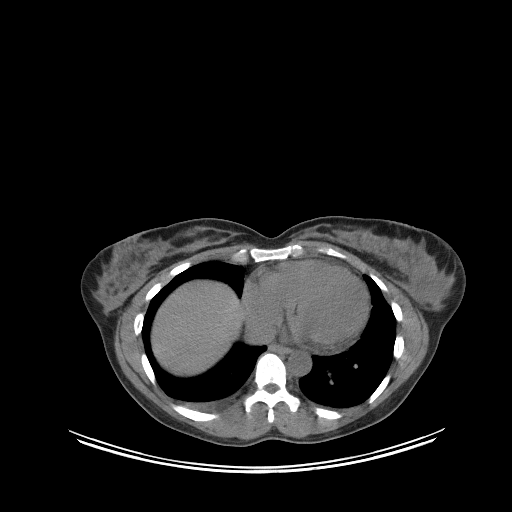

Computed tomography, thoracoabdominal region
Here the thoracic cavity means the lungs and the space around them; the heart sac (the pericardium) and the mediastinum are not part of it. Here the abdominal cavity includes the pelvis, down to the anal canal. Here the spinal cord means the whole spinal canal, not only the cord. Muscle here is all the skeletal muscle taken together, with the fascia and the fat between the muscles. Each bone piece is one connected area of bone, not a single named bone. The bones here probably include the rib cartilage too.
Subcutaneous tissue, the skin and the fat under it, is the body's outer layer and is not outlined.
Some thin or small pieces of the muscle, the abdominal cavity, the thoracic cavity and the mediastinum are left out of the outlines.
{"bones":[{"outer":[[266,352],[277,355],[284,363],[287,388],[298,396],[301,401],[294,412],[290,411],[285,402],[277,402],[273,407],[274,419],[271,423],[268,422],[268,406],[264,402],[255,402],[248,414],[245,411],[243,403],[244,398],[255,388],[253,373],[257,359]],"hole":[[268,384],[275,384],[276,385],[277,385],[277,386],[278,387],[278,388],[274,392],[272,392],[271,393],[270,392],[269,392],[268,391],[267,391],[264,388],[264,387],[266,385],[267,385]]},[[296,243],[301,245],[305,249],[305,254],[299,257],[291,257],[290,256],[286,259],[282,260],[276,259],[275,260],[265,260],[259,262],[253,261],[249,261],[245,263],[230,262],[231,254],[242,248],[250,249],[253,247],[256,247],[270,249],[283,247]],[[172,403],[177,406],[185,406],[190,409],[196,410],[197,411],[200,411],[204,413],[212,413],[213,414],[217,414],[218,413],[219,414],[219,417],[218,418],[212,419],[211,420],[208,420],[207,421],[196,421],[178,413],[172,408],[171,406],[171,404]],[[313,406],[319,406],[320,407],[323,407],[324,408],[327,408],[328,409],[332,409],[333,410],[336,410],[342,413],[342,416],[340,418],[338,418],[337,419],[326,419],[325,418],[322,418],[321,417],[320,418],[318,417],[318,416],[314,412],[313,410]],[[387,373],[389,373],[390,374],[390,379],[389,380],[387,385],[385,387],[385,388],[382,391],[382,392],[371,403],[368,403],[367,402],[367,399],[371,395],[371,394],[376,389],[376,388],[382,381],[382,380],[384,378],[384,377],[386,375],[386,374]],[[144,352],[152,368],[152,370],[153,371],[153,373],[155,377],[155,380],[156,381],[156,383],[155,384],[153,384],[151,382],[151,381],[148,378],[147,375],[145,373],[143,369],[143,367],[141,363],[141,354]],[[321,246],[325,246],[326,247],[331,247],[337,250],[339,252],[346,255],[348,257],[348,259],[346,260],[345,259],[343,259],[342,258],[340,258],[336,256],[328,255],[325,253],[320,253],[319,252],[316,252],[315,251],[315,248],[317,247],[320,247]],[[396,334],[400,334],[403,337],[403,342],[404,343],[404,349],[403,350],[403,352],[402,353],[402,354],[401,355],[401,356],[399,358],[398,358],[397,359],[396,359],[393,356],[393,348],[394,347],[394,343],[395,342],[395,338],[396,337]],[[185,261],[189,261],[190,262],[191,262],[191,264],[192,265],[191,266],[190,266],[188,268],[185,269],[183,271],[178,273],[176,275],[175,275],[170,279],[170,277],[168,274],[168,273],[170,271],[170,270],[171,269],[172,269],[175,266],[176,266]],[[140,312],[141,312],[144,314],[144,315],[143,316],[143,321],[142,322],[142,327],[141,328],[141,331],[140,332],[140,334],[139,334],[138,335],[136,335],[134,332],[133,323],[134,322],[134,318],[135,317],[135,316],[138,313],[139,313]],[[158,282],[160,282],[161,283],[162,283],[163,284],[163,286],[157,292],[157,293],[149,301],[146,301],[145,300],[145,296],[146,295],[146,293],[149,290],[149,289],[154,284],[155,284],[156,283],[157,283]],[[392,300],[394,300],[400,306],[400,307],[401,308],[401,311],[402,312],[402,316],[403,317],[403,318],[401,321],[397,321],[395,318],[395,316],[393,313],[393,311],[392,310],[392,308],[390,305],[390,302]],[[369,273],[372,273],[373,274],[374,274],[377,277],[378,277],[387,287],[387,288],[388,289],[388,291],[387,291],[386,292],[383,292],[381,290],[381,289],[379,287],[379,286],[374,281],[374,280],[371,277],[370,277],[370,276],[368,274]]],"mediastinum":[[[247,318],[260,320],[269,324],[274,335],[284,344],[295,346],[314,354],[327,355],[314,354],[312,356],[311,369],[307,374],[299,378],[297,391],[294,391],[288,383],[285,363],[277,354],[266,351],[267,346],[265,344],[254,344],[245,341],[241,327]],[[317,253],[325,254],[328,256],[332,256],[345,260],[365,273],[362,275],[362,278],[360,274],[347,263],[329,257],[320,257],[319,256],[317,257],[316,256],[315,257],[306,257],[301,259],[292,259],[291,260],[283,260],[286,260],[287,259],[288,258],[290,257],[299,258],[307,254],[316,254]],[[265,261],[274,261],[269,261],[268,262],[265,262],[259,265],[257,267],[255,267],[245,278],[245,280],[244,282],[244,273],[245,272],[245,270],[241,265],[239,264],[236,264],[245,264],[249,262],[253,262],[254,263],[259,263],[260,262],[264,262]]],"abdominal_cavity":[[[194,279],[217,280],[227,284],[233,290],[241,300],[241,305],[248,317],[242,322],[240,327],[242,338],[247,343],[236,341],[215,365],[203,373],[191,377],[179,377],[164,370],[156,361],[150,342],[150,330],[154,316],[159,306],[167,296],[181,284]]],"pericardium":[[[316,257],[329,258],[347,264],[355,270],[365,282],[370,296],[371,309],[367,323],[360,336],[349,347],[336,353],[314,353],[307,349],[280,341],[269,323],[260,319],[249,317],[242,305],[241,299],[244,283],[246,278],[255,268],[269,262],[301,260]]],"torso":[[[331,215],[390,219],[429,230],[444,239],[463,264],[463,298],[404,401],[373,425],[309,444],[269,439],[243,447],[219,445],[150,416],[115,375],[84,305],[80,279],[87,263],[102,248],[129,235],[187,219],[227,219],[273,237],[304,220]]],"muscle":[[[293,238],[326,242],[352,253],[379,271],[421,312],[429,331],[425,356],[386,399],[359,418],[327,432],[293,437],[273,428],[257,437],[241,439],[211,435],[174,418],[126,377],[116,357],[114,335],[119,316],[134,296],[158,272],[178,261],[209,249],[250,243],[256,246],[234,251],[229,262],[210,259],[192,264],[185,260],[169,270],[169,280],[164,285],[158,281],[145,293],[148,305],[144,313],[134,316],[132,327],[142,340],[140,363],[150,382],[157,383],[174,411],[196,422],[218,419],[219,413],[233,405],[252,383],[253,390],[242,400],[244,411],[248,415],[255,403],[262,402],[267,406],[270,424],[275,419],[277,403],[285,403],[292,413],[301,405],[301,398],[288,385],[317,405],[312,410],[320,419],[337,420],[343,416],[337,409],[366,400],[371,404],[391,379],[388,370],[393,358],[399,359],[405,349],[404,337],[396,332],[397,322],[404,318],[402,308],[394,299],[387,301],[383,293],[389,289],[378,276],[350,263],[346,254],[325,245],[315,247],[316,253],[306,254],[297,242],[284,245]]],"spinal_cord":[[[268,384],[275,384],[276,385],[277,385],[277,386],[278,387],[278,388],[274,392],[272,392],[271,393],[270,392],[269,392],[268,391],[267,391],[264,388],[264,387],[266,385],[267,385]]],"thoracic_cavity":[[[210,260],[243,268],[241,297],[217,279],[185,281],[158,306],[149,342],[157,364],[179,378],[195,377],[211,369],[236,342],[266,346],[256,359],[252,382],[233,404],[217,413],[177,405],[167,396],[156,380],[141,336],[149,302],[158,292],[178,274]],[[364,274],[367,274],[378,286],[389,304],[396,321],[396,333],[392,348],[393,357],[387,372],[364,401],[356,405],[336,409],[320,406],[299,391],[298,393],[299,380],[311,371],[314,355],[327,356],[345,351],[361,337],[372,309],[371,296],[363,278]]]}